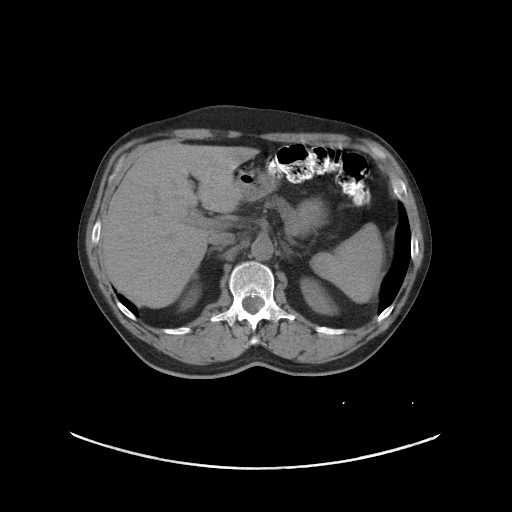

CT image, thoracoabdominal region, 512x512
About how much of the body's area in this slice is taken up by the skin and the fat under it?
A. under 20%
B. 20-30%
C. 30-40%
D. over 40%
A. under 20%
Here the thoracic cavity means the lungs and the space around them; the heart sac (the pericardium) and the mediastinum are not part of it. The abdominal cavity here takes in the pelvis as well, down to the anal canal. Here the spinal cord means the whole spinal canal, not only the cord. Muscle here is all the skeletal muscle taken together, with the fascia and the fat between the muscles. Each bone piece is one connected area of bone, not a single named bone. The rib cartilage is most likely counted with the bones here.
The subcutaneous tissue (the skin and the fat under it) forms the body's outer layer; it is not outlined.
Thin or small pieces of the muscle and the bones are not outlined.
The muscle is outlined by [[182,128],[209,128],[210,129],[219,129],[220,130],[236,130],[237,131],[240,131],[244,134],[261,134],[262,133],[268,133],[269,132],[345,133],[349,135],[354,135],[358,137],[368,138],[375,141],[385,148],[396,160],[408,180],[408,183],[411,188],[417,206],[417,210],[421,223],[421,230],[423,235],[423,244],[424,245],[424,255],[423,256],[421,266],[417,272],[415,280],[404,305],[401,308],[399,313],[392,323],[384,331],[378,334],[350,353],[337,359],[334,359],[324,363],[302,363],[301,362],[297,362],[291,359],[287,359],[276,354],[274,354],[263,346],[258,345],[257,346],[250,346],[237,357],[226,361],[213,362],[206,365],[190,364],[171,357],[131,333],[118,320],[114,314],[111,307],[101,292],[98,286],[97,279],[95,277],[89,265],[89,262],[86,253],[86,248],[85,247],[85,238],[86,237],[87,223],[92,208],[94,205],[94,202],[97,195],[99,184],[103,172],[106,167],[109,158],[113,152],[119,146],[133,138],[149,135],[167,129],[181,129]] with holes at [[223,138],[332,144],[369,154],[371,145],[385,154],[383,160],[373,158],[388,175],[393,173],[404,182],[407,202],[403,205],[410,231],[418,242],[418,254],[409,261],[393,300],[394,306],[385,318],[378,322],[375,316],[340,334],[317,332],[316,323],[288,304],[285,289],[290,282],[282,270],[274,272],[277,280],[274,300],[295,318],[281,318],[276,322],[262,319],[254,331],[245,319],[237,320],[232,326],[225,320],[210,320],[233,301],[225,275],[219,280],[220,308],[187,323],[191,329],[188,333],[165,333],[160,327],[137,316],[133,320],[120,310],[100,260],[100,244],[91,240],[93,226],[96,220],[104,217],[106,204],[118,180],[132,163],[156,148],[185,140]] and at [[121,156],[123,156],[123,161],[122,162],[122,165],[121,166],[120,169],[117,172],[115,177],[111,181],[109,181],[109,180],[108,179],[109,178],[109,176],[110,175],[110,174],[114,170],[114,167],[116,164],[116,162],[117,161],[117,160]] and at [[254,335],[255,336],[256,336],[258,338],[258,339],[259,340],[259,341],[258,342],[258,343],[257,343],[256,344],[255,344],[254,345],[252,345],[250,343],[250,339],[252,337],[252,336],[253,336]]. The spinal cord is outlined by [[246,297],[259,297],[260,298],[261,298],[263,300],[263,305],[256,312],[255,312],[254,313],[251,313],[250,312],[249,312],[248,311],[247,311],[243,307],[243,305],[242,304],[242,302],[243,301],[243,300]]. The torso is outlined by [[219,104],[281,109],[362,126],[386,140],[414,176],[431,229],[430,265],[419,293],[402,322],[386,342],[361,364],[320,376],[290,375],[253,366],[212,379],[178,377],[143,362],[92,298],[81,271],[76,240],[81,211],[102,156],[119,136],[136,125]]. The thoracic cavity appears in 2 outlined pieces: piece 1: [[400,203],[402,203],[405,208],[408,219],[409,228],[410,229],[410,239],[409,240],[409,244],[410,245],[410,260],[401,286],[393,301],[378,313],[382,285],[388,272],[392,266],[395,257],[395,253],[396,252],[396,233],[400,217],[400,208],[399,207]]; piece 2: [[115,292],[116,293],[117,293],[118,294],[119,294],[120,295],[123,296],[123,297],[124,298],[125,298],[129,302],[130,302],[135,307],[135,308],[137,310],[137,315],[135,315],[124,304],[123,304],[117,298],[117,296],[116,295]]. The bones appear in 10 outlined pieces: piece 1: [[247,260],[255,260],[270,268],[275,281],[274,300],[282,309],[295,315],[293,320],[281,318],[275,322],[262,319],[254,331],[245,319],[237,320],[232,326],[225,320],[210,320],[211,316],[225,311],[231,305],[233,297],[228,288],[230,273],[237,264]]; inner edge: [[246,297],[259,297],[260,298],[261,298],[263,300],[263,305],[256,312],[255,312],[254,313],[251,313],[250,312],[249,312],[248,311],[247,311],[243,307],[243,305],[242,304],[242,302],[243,301],[243,300]]; piece 2: [[390,173],[393,173],[395,174],[398,177],[399,177],[404,182],[405,184],[405,186],[406,187],[406,190],[407,191],[407,202],[405,204],[404,204],[398,198],[398,197],[394,192],[394,190],[392,187],[392,184],[390,181],[390,177],[389,176],[389,174]]; piece 3: [[317,325],[319,325],[320,326],[327,326],[328,327],[331,327],[332,328],[345,328],[346,329],[346,331],[345,332],[344,332],[343,333],[341,333],[340,334],[325,334],[324,333],[320,333],[319,332],[317,332],[315,330],[315,329],[314,328],[314,327]]; piece 4: [[181,326],[187,326],[188,327],[189,327],[191,329],[191,331],[190,332],[189,332],[188,333],[185,333],[184,334],[171,334],[170,333],[165,333],[164,332],[163,332],[161,330],[161,328],[175,328],[176,327],[180,327]]; piece 5: [[98,219],[99,219],[101,221],[101,228],[100,229],[100,235],[99,236],[99,241],[98,242],[98,243],[97,244],[94,244],[92,242],[92,241],[91,240],[91,234],[92,233],[92,229],[93,228],[93,226],[94,225],[96,220],[97,220]]; piece 6: [[411,232],[413,232],[414,233],[414,234],[416,236],[416,237],[417,238],[417,241],[418,242],[418,254],[417,255],[417,256],[416,257],[416,258],[414,260],[411,260],[411,245],[410,244],[410,240],[411,239]]; piece 7: [[392,302],[394,302],[394,306],[393,307],[393,308],[392,309],[392,310],[391,311],[391,312],[385,318],[384,318],[380,322],[378,322],[376,320],[376,317],[378,315],[378,314],[379,314],[386,307],[387,307]]; piece 8: [[116,299],[117,299],[123,305],[124,305],[136,317],[136,319],[135,320],[133,320],[132,319],[131,319],[130,318],[129,318],[127,316],[126,316],[120,310],[120,309],[118,307],[118,306],[116,304]]; piece 9: [[121,156],[123,156],[123,161],[122,162],[122,165],[121,166],[120,169],[117,172],[115,177],[111,181],[109,181],[109,180],[108,179],[109,178],[109,176],[110,175],[110,174],[114,170],[114,167],[116,164],[116,162],[117,161],[117,160]]; piece 10: [[369,145],[371,145],[374,147],[376,147],[377,148],[378,148],[381,151],[382,151],[385,154],[385,159],[384,159],[383,160],[382,160],[379,158],[376,158],[375,157],[374,157],[371,154],[371,152],[370,151],[370,148],[369,147]]. The abdominal cavity is outlined by [[223,138],[332,144],[373,157],[401,202],[377,315],[358,327],[317,324],[288,304],[286,274],[276,270],[276,282],[271,268],[255,259],[237,263],[228,278],[219,280],[219,309],[186,325],[150,325],[114,291],[99,242],[106,204],[123,172],[156,148]].